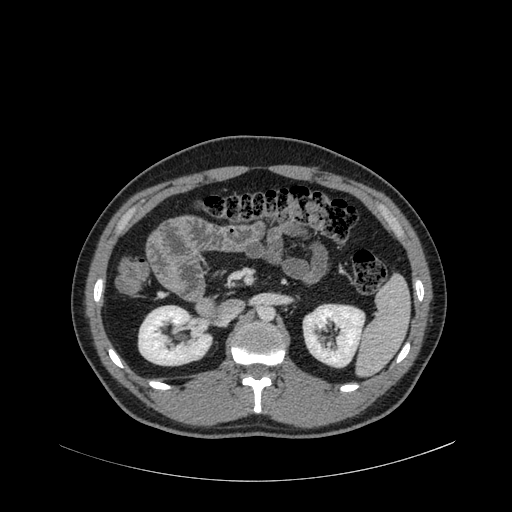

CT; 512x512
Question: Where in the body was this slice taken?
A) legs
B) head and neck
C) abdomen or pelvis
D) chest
Answer: C) abdomen or pelvis
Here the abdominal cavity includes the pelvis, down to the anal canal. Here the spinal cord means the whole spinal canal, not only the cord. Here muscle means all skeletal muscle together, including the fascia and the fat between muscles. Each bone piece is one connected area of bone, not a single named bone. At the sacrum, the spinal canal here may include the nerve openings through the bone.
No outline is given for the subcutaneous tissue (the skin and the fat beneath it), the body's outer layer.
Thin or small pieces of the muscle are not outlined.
Outlines (x, y in pixels):
muscle: (303, 428) (327, 425) (356, 415) (395, 384) (416, 358) (430, 316) (429, 304) (433, 293) (423, 249) (408, 220) (382, 192) (341, 175) (300, 165) (235, 165) (212, 168) (159, 183) (131, 196) (112, 216) (95, 249) (84, 291) (85, 315) (97, 353) (110, 374) (148, 406) (176, 421) (195, 426) (210, 426) (254, 414) (252, 390) (240, 383) (242, 367) (233, 361) (230, 353) (234, 332) (226, 339) (226, 357) (216, 369) (199, 372) (183, 383) (168, 382) (172, 388) (166, 391) (150, 387) (147, 384) (148, 378) (138, 375) (121, 358) (124, 365) (122, 369) (110, 360) (107, 348) (112, 345) (102, 323) (101, 298) (98, 303) (93, 301) (92, 288) (99, 276) (105, 278) (111, 250) (132, 224) (172, 194) (259, 168) (353, 194) (405, 248) (413, 283) (414, 278) (421, 279) (425, 296) (419, 302) (414, 289) (415, 312) (408, 337) (411, 347) (400, 363) (397, 364) (394, 360) (379, 374) (360, 382) (358, 389) (342, 393) (338, 389) (340, 384) (330, 383) (304, 372) (292, 361) (288, 355) (289, 336) (286, 331) (283, 332) (286, 354) (283, 362) (274, 367) (273, 383) (262, 392) (260, 414), around holes outlined by (399, 238) (403, 237) (404, 236) (404, 231) (403, 229) (401, 227) (397, 219) (392, 214) (392, 213) (389, 210) (389, 209) (381, 202) (378, 202) (377, 203) (377, 207) (379, 211) (384, 217) (384, 218) (386, 220) (386, 221) (388, 223) (392, 230) (395, 233) (397, 237) and by (117, 234) (119, 234) (124, 228) (124, 227) (126, 225) (128, 221) (135, 213) (137, 208) (139, 207) (140, 204) (143, 201) (143, 199) (139, 202) (134, 204) (131, 207) (130, 207) (121, 216) (121, 217) (117, 222) (116, 224) (116, 226) (115, 227) (115, 232)
torso: (204, 439) (335, 435) (387, 415) (414, 387) (443, 330) (447, 309) (445, 275) (435, 243) (418, 213) (393, 185) (373, 170) (301, 139) (222, 136) (188, 146) (150, 165) (125, 184) (96, 219) (80, 249) (71, 284) (70, 311) (78, 345) (102, 385) (128, 415) (170, 433)
bones 1: (255, 413) (261, 412) (261, 392) (265, 386) (272, 383) (274, 376) (273, 367) (282, 362) (285, 354) (282, 333) (275, 325) (264, 324) (259, 321) (253, 321) (241, 326) (236, 331) (231, 346) (234, 361) (243, 367) (240, 374) (241, 383) (250, 386) (253, 390) (253, 411); inner edge: (257, 379) (258, 378) (260, 378) (264, 375) (266, 375) (268, 374) (269, 372) (269, 367) (263, 364) (258, 364) (257, 363) (255, 364) (251, 364) (247, 366) (245, 369) (246, 371) (246, 373) (248, 375) (250, 375) (254, 378) (256, 378)
bones 2: (399, 238) (403, 237) (404, 236) (404, 231) (403, 229) (401, 227) (397, 219) (392, 214) (392, 213) (389, 210) (389, 209) (381, 202) (378, 202) (377, 203) (377, 207) (379, 211) (384, 217) (384, 218) (386, 220) (386, 221) (388, 223) (392, 230) (395, 233) (397, 237)
bones 3: (117, 234) (119, 234) (124, 228) (124, 227) (126, 225) (128, 221) (135, 213) (137, 208) (139, 207) (140, 204) (143, 201) (143, 199) (139, 202) (134, 204) (131, 207) (130, 207) (121, 216) (121, 217) (117, 222) (116, 224) (116, 226) (115, 227) (115, 232)
bones 4: (96, 302) (98, 302) (99, 301) (99, 300) (102, 295) (102, 292) (103, 291) (103, 288) (104, 287) (104, 282) (105, 281) (105, 279) (103, 277) (99, 277) (96, 280) (96, 281) (94, 284) (94, 287) (93, 288) (93, 299) (94, 300) (94, 301) (95, 301)
bones 5: (161, 390) (166, 390) (167, 389) (170, 389) (171, 388) (171, 385) (170, 385) (167, 383) (165, 383) (164, 382) (162, 382) (161, 381) (160, 381) (157, 379) (149, 379) (148, 380) (148, 384) (150, 386) (151, 386) (153, 388) (155, 388) (156, 389) (160, 389)
bones 6: (419, 301) (422, 301) (422, 300) (423, 299) (423, 297) (424, 296) (424, 288) (423, 287) (422, 282) (420, 280) (420, 279) (419, 279) (418, 278) (416, 278) (415, 279) (414, 279) (414, 288) (415, 289) (415, 291) (416, 292) (416, 294) (417, 295) (417, 298)
bones 7: (397, 363) (400, 362) (406, 356) (406, 355) (408, 353) (408, 352) (409, 351) (409, 348) (410, 347) (410, 343) (408, 341) (406, 341) (405, 342) (405, 343) (403, 345) (402, 348) (398, 353) (398, 354) (397, 355) (397, 356) (395, 359) (395, 362) (396, 362)
bones 8: (121, 368) (122, 368) (123, 367) (123, 365) (122, 364) (122, 363) (120, 360) (120, 358) (119, 357) (119, 356) (117, 354) (117, 353) (115, 351) (115, 350) (112, 347) (109, 347) (108, 348) (108, 353) (109, 354) (109, 356) (110, 357) (111, 360) (117, 366) (118, 366)
bones 9: (342, 392) (348, 392) (349, 391) (352, 391) (353, 390) (354, 390) (355, 389) (356, 389) (357, 388) (358, 388) (359, 387) (359, 384) (356, 382) (352, 382) (351, 383) (346, 383) (345, 384) (342, 384) (339, 387) (339, 389) (340, 390) (340, 391) (341, 391)
spinal cord: (257, 379) (258, 378) (260, 378) (264, 375) (266, 375) (268, 374) (269, 372) (269, 367) (263, 364) (258, 364) (257, 363) (255, 364) (251, 364) (247, 366) (245, 369) (246, 371) (246, 373) (248, 375) (250, 375) (254, 378) (256, 378)
abdominal cavity: (341, 384) (362, 381) (385, 369) (407, 340) (414, 312) (404, 248) (353, 195) (268, 170) (251, 170) (164, 199) (119, 238) (108, 262) (102, 318) (113, 347) (138, 374) (177, 383) (216, 368) (225, 357) (228, 334) (246, 322) (259, 320) (288, 332) (289, 355) (302, 370)